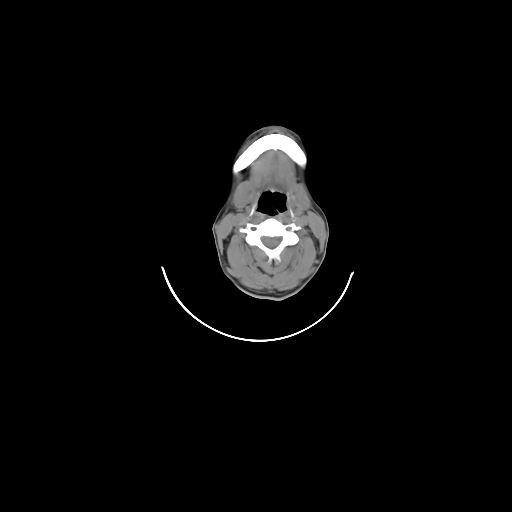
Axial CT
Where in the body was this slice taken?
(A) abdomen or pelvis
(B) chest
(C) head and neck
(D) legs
Answer: (C) head and neck
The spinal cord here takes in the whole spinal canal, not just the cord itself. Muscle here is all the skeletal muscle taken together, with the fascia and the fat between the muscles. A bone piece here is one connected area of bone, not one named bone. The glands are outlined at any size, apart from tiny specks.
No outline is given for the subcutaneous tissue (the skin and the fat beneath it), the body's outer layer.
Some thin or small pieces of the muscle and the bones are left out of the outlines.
Outlines (x, y in pixels):
muscle 1: [[268,150],[282,151],[303,169],[303,184],[296,181],[291,185],[291,199],[297,210],[307,212],[312,205],[325,227],[321,256],[313,270],[282,294],[248,288],[230,274],[216,232],[230,202],[240,210],[256,195],[248,179],[240,181],[234,191],[234,175]]; inner edge: [[272,189],[285,196],[285,209],[273,215],[285,224],[293,222],[300,229],[296,231],[298,241],[280,252],[280,261],[273,259],[269,263],[267,255],[248,244],[246,234],[239,230],[247,223],[257,224],[271,215],[259,211],[257,205],[250,212],[260,196]]
muscle 2: [[272,129],[277,129],[278,130],[283,131],[291,135],[295,139],[295,140],[291,136],[287,134],[282,133],[281,132],[268,132],[265,134],[261,135],[259,137],[255,139],[240,153],[241,149],[248,141],[252,139],[255,136],[263,132],[265,132]]
bones 1: [[269,216],[275,216],[278,220],[285,224],[293,222],[300,226],[300,229],[296,231],[299,239],[298,241],[293,245],[286,246],[280,252],[280,261],[273,259],[270,263],[267,255],[259,247],[248,244],[245,240],[246,234],[239,230],[247,223],[257,224]], around a hole outlined by [[264,236],[266,236],[267,237],[280,237],[281,238],[281,240],[280,241],[280,242],[275,247],[274,247],[273,248],[269,248],[268,247],[267,247],[262,242],[262,241],[261,240],[261,238],[262,237],[263,237]]
bones 2: [[268,133],[281,133],[291,137],[299,145],[305,153],[305,155],[307,158],[307,164],[306,166],[304,168],[299,166],[285,152],[280,149],[268,149],[262,152],[247,167],[241,170],[238,173],[233,174],[232,173],[232,165],[238,156],[255,140],[261,136]]
spinal cord: [[264,236],[266,236],[267,237],[280,237],[281,238],[281,240],[280,241],[280,242],[275,247],[274,247],[273,248],[269,248],[268,247],[267,247],[262,242],[262,241],[261,240],[261,238],[262,237],[263,237]]
head and neck: [[267,125],[284,126],[291,129],[302,138],[309,153],[308,185],[314,199],[323,210],[329,226],[326,253],[319,269],[300,291],[281,300],[254,297],[238,289],[224,275],[220,268],[212,234],[214,218],[228,190],[228,162],[230,158],[244,138],[253,131]]; inner edge: [[264,192],[278,192],[280,194],[281,194],[282,195],[285,196],[285,209],[283,211],[279,211],[278,210],[276,212],[276,213],[273,215],[271,215],[269,213],[268,213],[267,212],[262,212],[261,211],[259,211],[258,210],[258,200],[259,199],[260,196]]
submandibular glands 1: [[245,180],[248,180],[249,182],[252,185],[255,191],[255,195],[253,197],[250,203],[249,203],[244,207],[240,209],[238,209],[236,207],[232,205],[231,203],[231,198],[232,197],[232,195],[237,188],[237,186],[238,184],[240,182],[242,181],[244,181]]
submandibular glands 2: [[296,182],[299,182],[301,183],[305,187],[306,189],[305,191],[309,198],[309,200],[311,201],[311,207],[310,209],[307,211],[304,211],[302,209],[297,209],[292,199],[292,197],[291,196],[291,188],[292,187],[292,185]]